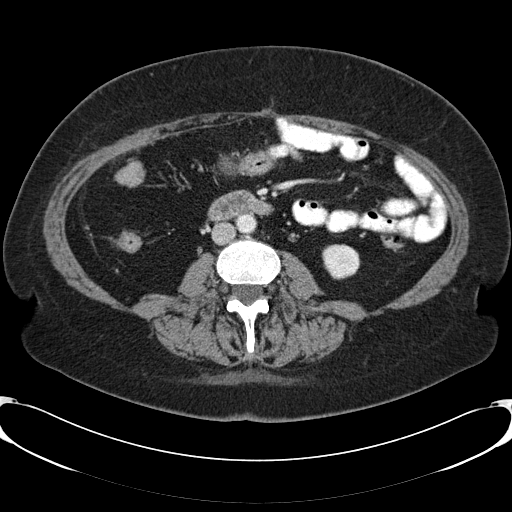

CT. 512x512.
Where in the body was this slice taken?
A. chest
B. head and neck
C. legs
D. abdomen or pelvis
D. abdomen or pelvis
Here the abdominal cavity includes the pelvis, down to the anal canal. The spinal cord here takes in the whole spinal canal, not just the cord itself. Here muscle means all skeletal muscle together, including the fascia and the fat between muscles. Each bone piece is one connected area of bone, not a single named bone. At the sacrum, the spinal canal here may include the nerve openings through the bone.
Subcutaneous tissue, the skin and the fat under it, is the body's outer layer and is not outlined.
Outlines (x, y in pixels):
abdominal cavity: 251,117 285,118 397,151 446,202 450,236 441,255 409,289 371,310 346,299 320,300 322,290 301,260 249,235 222,247 216,258 202,253 176,295 148,294 131,305 114,297 69,245 66,214 78,190 119,155
torso: 250,45 311,46 379,61 437,91 481,135 501,175 511,228 505,273 479,294 478,311 499,323 485,360 376,406 257,422 200,419 136,404 25,351 19,331 28,311 6,280 3,237 47,137 92,90 122,73
spinal cord: 241,284 245,284 246,285 261,285 263,287 263,291 264,292 263,294 260,297 254,300 250,304 248,304 247,305 246,304 244,304 240,300 239,300 236,297 235,297 231,293 231,287 233,285 240,285
muscle: 269,107 282,114 308,114 363,126 394,141 405,144 426,156 455,185 468,212 469,240 467,254 450,282 436,295 413,308 367,318 352,328 339,347 319,361 273,367 239,362 223,368 205,362 187,360 171,353 152,333 144,319 137,315 114,309 105,303 82,294 70,286 53,266 43,235 44,212 56,184 75,162 125,135 158,123 199,113 259,111; inner edge: 251,117 285,118 397,151 440,192 450,236 409,289 371,310 320,300 312,272 278,249 281,268 249,354 243,321 226,309 228,285 213,253 187,267 176,295 148,294 127,305 79,263 65,222 78,190 117,156
bones: 249,236 273,247 277,251 281,265 279,273 269,284 269,310 267,313 260,313 254,322 255,341 251,354 247,352 245,345 247,335 243,321 235,312 229,312 226,309 228,285 218,275 215,267 222,248 235,240 with a hole at 241,284 245,284 246,285 261,285 263,287 263,291 264,292 263,294 260,297 254,300 250,304 248,304 247,305 246,304 244,304 240,300 239,300 236,297 235,297 231,293 231,287 233,285 240,285